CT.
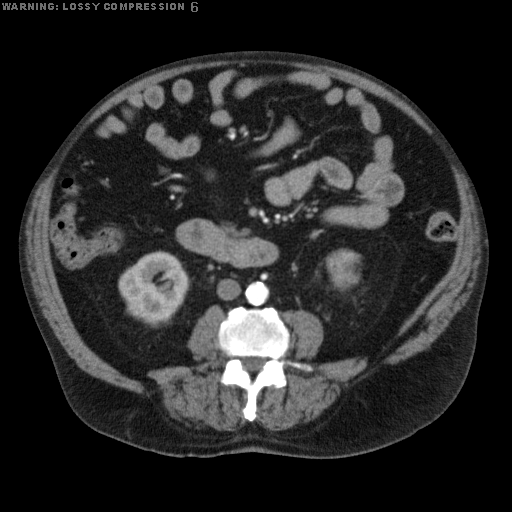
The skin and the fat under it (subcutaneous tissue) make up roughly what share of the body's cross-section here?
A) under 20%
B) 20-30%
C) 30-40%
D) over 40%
Answer: A) under 20%
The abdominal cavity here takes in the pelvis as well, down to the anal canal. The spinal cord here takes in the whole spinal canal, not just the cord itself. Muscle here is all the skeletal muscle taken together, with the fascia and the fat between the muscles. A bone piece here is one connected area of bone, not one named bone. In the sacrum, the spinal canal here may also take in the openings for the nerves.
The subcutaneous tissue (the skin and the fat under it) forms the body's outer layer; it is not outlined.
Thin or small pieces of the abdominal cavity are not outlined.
Outlines (x, y in pixels):
abdominal cavity: [[248,63],[323,71],[385,99],[431,136],[459,198],[454,255],[372,361],[312,362],[324,327],[307,310],[282,319],[273,306],[226,314],[212,304],[186,343],[196,363],[150,369],[144,382],[94,352],[70,317],[48,239],[55,179],[86,128],[132,94]]
spinal cord: [[249,356],[253,356],[254,357],[261,357],[262,358],[265,358],[266,359],[266,360],[264,362],[261,369],[259,371],[258,371],[255,373],[250,373],[248,371],[247,371],[245,369],[244,369],[241,358],[242,357],[248,357]]
torso: [[247,49],[318,55],[355,66],[393,85],[441,130],[481,201],[489,266],[466,380],[437,419],[413,435],[371,452],[331,459],[258,452],[174,457],[100,434],[69,407],[27,303],[17,253],[23,207],[37,177],[84,113],[114,87],[152,67],[193,55]]
bones: [[238,306],[275,308],[289,330],[289,347],[284,358],[307,363],[313,368],[306,371],[285,365],[286,384],[279,388],[264,386],[259,391],[253,421],[247,420],[242,413],[247,392],[235,384],[225,385],[220,381],[229,357],[219,347],[217,333],[228,311]] with a hole at [[249,356],[253,356],[254,357],[261,357],[262,358],[265,358],[266,359],[266,360],[264,362],[261,369],[259,371],[258,371],[255,373],[250,373],[248,371],[247,371],[245,369],[244,369],[241,358],[242,357],[248,357]]
muscle: [[241,59],[327,65],[358,74],[399,97],[433,130],[452,162],[464,174],[480,226],[481,260],[472,291],[430,347],[398,363],[380,364],[369,375],[342,390],[336,400],[315,419],[278,431],[271,431],[254,422],[258,394],[264,387],[279,389],[287,384],[285,366],[306,372],[314,370],[307,362],[285,358],[290,347],[290,330],[282,312],[304,310],[321,322],[323,340],[310,361],[312,363],[358,356],[367,357],[372,362],[396,337],[452,264],[460,219],[460,198],[454,174],[434,138],[391,102],[323,70],[281,63],[228,63],[192,69],[152,83],[102,113],[73,144],[55,176],[47,226],[49,254],[67,312],[84,343],[122,374],[146,383],[150,370],[197,363],[187,346],[188,340],[198,319],[210,306],[218,305],[226,315],[217,329],[217,345],[228,357],[219,381],[246,392],[241,413],[248,422],[236,430],[217,430],[210,426],[201,429],[186,427],[168,415],[159,395],[146,396],[82,370],[68,355],[42,313],[25,254],[26,222],[38,186],[59,161],[83,123],[100,105],[125,87],[166,69],[192,63]]